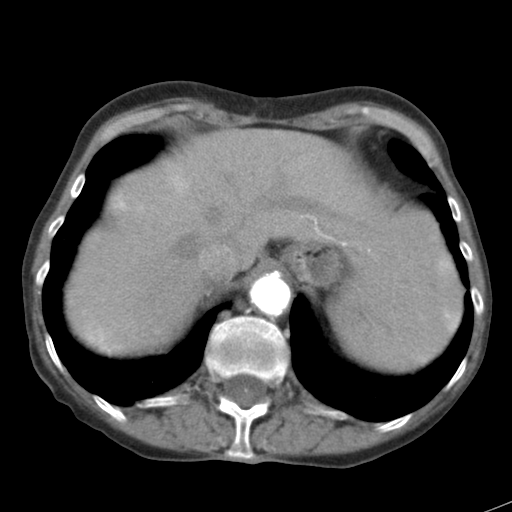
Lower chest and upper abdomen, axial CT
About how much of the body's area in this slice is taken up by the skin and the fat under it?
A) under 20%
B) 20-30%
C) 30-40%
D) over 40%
Answer: A) under 20%
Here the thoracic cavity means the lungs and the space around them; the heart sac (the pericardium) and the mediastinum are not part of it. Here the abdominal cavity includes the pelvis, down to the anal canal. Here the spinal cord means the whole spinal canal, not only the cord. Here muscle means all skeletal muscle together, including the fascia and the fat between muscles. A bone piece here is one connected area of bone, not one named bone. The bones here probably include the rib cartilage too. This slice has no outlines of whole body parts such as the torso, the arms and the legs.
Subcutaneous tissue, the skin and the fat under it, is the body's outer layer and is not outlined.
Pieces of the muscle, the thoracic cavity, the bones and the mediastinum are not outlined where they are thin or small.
The abdominal cavity is outlined by (170, 120) (311, 130) (364, 122) (356, 140) (368, 165) (396, 192) (431, 208) (466, 289) (461, 323) (445, 351) (403, 377) (344, 363) (279, 267) (250, 277) (163, 355) (109, 359) (78, 344) (61, 308) (77, 245) (108, 182) (160, 147) (157, 136) (136, 130). The spinal cord is outlined by (239, 374) (245, 374) (250, 376) (254, 376) (264, 382) (267, 385) (268, 388) (268, 392) (267, 393) (267, 397) (266, 399) (264, 401) (255, 403) (248, 408) (242, 408) (237, 403) (225, 396) (222, 393) (222, 382) (223, 380) (224, 379) (228, 379) (233, 376) (236, 376). The bones appear in 9 outlined pieces: piece 1: (239, 315) (259, 317) (273, 323) (290, 350) (289, 366) (283, 381) (271, 391) (272, 402) (268, 411) (254, 419) (250, 425) (251, 458) (233, 457) (227, 453) (235, 437) (235, 422) (231, 416) (216, 407) (220, 385) (211, 380) (204, 363) (206, 345) (214, 324), around a hole outlined by (239, 374) (245, 374) (250, 376) (254, 376) (264, 382) (267, 385) (268, 388) (268, 392) (267, 393) (266, 399) (264, 401) (255, 403) (248, 408) (242, 408) (237, 403) (225, 396) (222, 393) (222, 389) (221, 388) (223, 380) (224, 379) (228, 379) (233, 376) (236, 376); piece 2: (360, 106) (370, 106) (388, 110) (405, 119) (420, 130) (429, 139) (432, 144) (433, 149) (431, 159) (434, 162) (433, 166) (430, 167) (427, 164) (420, 152) (412, 142) (401, 132) (391, 127) (373, 123) (358, 111) (353, 113) (345, 112) (347, 109) (353, 109); piece 3: (176, 103) (189, 104) (191, 107) (188, 109) (182, 111) (177, 111) (170, 109) (157, 119) (154, 119) (143, 124) (136, 125) (129, 128) (126, 131) (119, 134) (103, 145) (99, 140) (100, 133) (106, 126) (124, 116) (151, 108) (156, 108) (157, 107) (168, 108) (171, 105); piece 4: (176, 394) (187, 394) (188, 395) (187, 398) (188, 402) (186, 404) (178, 403) (169, 406) (158, 406) (157, 407) (149, 407) (148, 408) (142, 408) (137, 406) (137, 404) (143, 402) (144, 400) (148, 398) (152, 398) (161, 395) (166, 396) (167, 395) (175, 395); piece 5: (305, 403) (309, 403) (310, 404) (312, 404) (316, 406) (319, 406) (326, 409) (331, 409) (333, 408) (337, 410) (340, 410) (347, 414) (347, 418) (345, 420) (336, 420) (327, 416) (323, 416) (322, 415) (316, 415) (315, 414) (307, 413) (304, 411) (304, 409) (306, 407); piece 6: (93, 394) (96, 394) (98, 395) (100, 397) (113, 405) (119, 406) (120, 407) (121, 411) (125, 415) (126, 417) (126, 420) (125, 421) (118, 421) (116, 419) (112, 417) (108, 413) (100, 408) (100, 407) (98, 405) (97, 405) (97, 404) (95, 402) (92, 396); piece 7: (411, 412) (412, 412) (412, 415) (407, 421) (407, 422) (402, 426) (398, 428) (396, 428) (389, 431) (386, 431) (385, 432) (381, 432) (375, 429) (376, 423) (377, 422) (386, 422) (387, 421) (390, 421); piece 8: (46, 331) (48, 332) (52, 340) (52, 342) (53, 343) (54, 348) (56, 351) (56, 353) (60, 361) (65, 368) (64, 373) (62, 373) (58, 369) (58, 368) (55, 365) (49, 355) (49, 353) (47, 350) (47, 348) (45, 344) (45, 337) (44, 335); piece 9: (465, 355) (467, 356) (467, 362) (466, 363) (466, 366) (465, 367) (465, 370) (464, 372) (462, 374) (462, 375) (451, 386) (451, 387) (447, 391) (443, 391) (442, 389) (452, 377) (452, 376) (456, 371) (457, 368) (459, 366) (461, 361) (463, 359). The mediastinum appears in 2 outlined pieces: piece 1: (273, 268) (279, 268) (285, 272) (296, 283) (300, 291) (300, 293) (297, 294) (293, 299) (290, 307) (289, 345) (280, 329) (273, 322) (263, 317) (249, 314) (239, 314) (224, 318) (216, 322) (217, 313) (219, 309) (228, 308) (231, 306) (231, 299) (238, 289) (250, 278); piece 2: (365, 123) (372, 123) (391, 128) (404, 135) (413, 146) (398, 139) (392, 138) (387, 145) (389, 155) (395, 165) (403, 173) (429, 186) (435, 191) (435, 193) (426, 192) (422, 194) (420, 197) (424, 201) (420, 201) (406, 197) (388, 185) (369, 165) (358, 144) (357, 136). The thoracic cavity appears in 2 outlined pieces: piece 1: (131, 134) (155, 136) (159, 147) (107, 182) (97, 215) (81, 235) (60, 288) (65, 329) (95, 356) (133, 361) (167, 354) (208, 311) (219, 308) (197, 372) (164, 394) (120, 406) (82, 386) (61, 361) (44, 320) (42, 287) (52, 240) (83, 189) (90, 161) (113, 139); piece 2: (392, 139) (419, 152) (446, 194) (467, 265) (473, 323) (466, 352) (443, 387) (413, 411) (376, 422) (327, 405) (298, 381) (290, 366) (290, 312) (303, 296) (329, 352) (385, 378) (414, 376) (454, 339) (467, 289) (441, 224) (421, 197) (436, 191) (396, 165) (388, 151). The muscle is outlined by (174, 97) (199, 98) (230, 112) (278, 119) (344, 102) (373, 101) (427, 129) (469, 219) (487, 305) (477, 363) (439, 411) (401, 435) (351, 453) (290, 456) (261, 451) (253, 457) (251, 425) (269, 411) (272, 391) (284, 381) (289, 367) (314, 398) (331, 407) (305, 402) (305, 413) (336, 421) (349, 415) (375, 422) (374, 429) (381, 433) (402, 427) (415, 410) (440, 390) (447, 392) (466, 370) (474, 314) (482, 315) (484, 301) (470, 284) (467, 262) (474, 256) (459, 237) (459, 204) (432, 169) (430, 139) (400, 115) (370, 105) (344, 111) (358, 112) (370, 122) (331, 129) (269, 122) (189, 124) (170, 119) (125, 132) (170, 110) (190, 109) (183, 102) (124, 115) (101, 130) (102, 146) (69, 189) (73, 202) (47, 228) (52, 239) (49, 257) (37, 269) (34, 283) (41, 288) (44, 344) (57, 369) (62, 374) (66, 369) (100, 409) (125, 422) (121, 407) (186, 405) (187, 393) (165, 394) (204, 365) (210, 380) (219, 385) (215, 407) (234, 422) (227, 455) (221, 450) (188, 453) (143, 443) (82, 407) (58, 382) (39, 354) (31, 318) (31, 268) (43, 227) (102, 123) (136, 106).